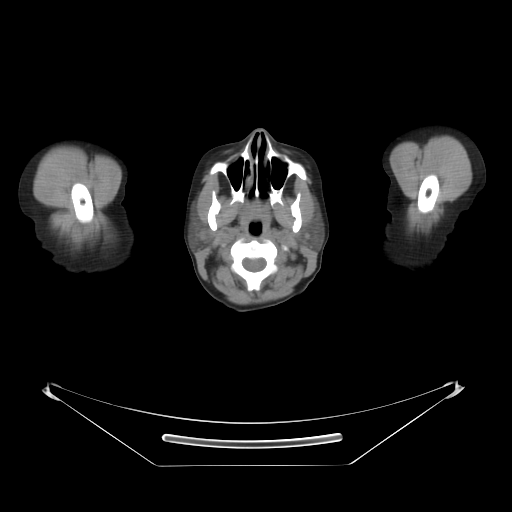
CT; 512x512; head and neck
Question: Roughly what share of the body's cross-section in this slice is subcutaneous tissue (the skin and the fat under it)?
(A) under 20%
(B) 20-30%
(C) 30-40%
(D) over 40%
Answer: (C) 30-40%
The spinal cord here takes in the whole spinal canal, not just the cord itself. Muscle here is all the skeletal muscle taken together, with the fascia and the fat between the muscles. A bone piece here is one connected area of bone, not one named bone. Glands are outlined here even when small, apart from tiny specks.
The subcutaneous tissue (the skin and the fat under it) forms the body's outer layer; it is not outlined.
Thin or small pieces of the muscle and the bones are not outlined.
{"parotid_glands":[[[311,194],[313,194],[317,196],[319,200],[320,212],[321,213],[321,216],[324,224],[324,237],[323,238],[323,241],[319,247],[312,247],[309,245],[308,242],[306,241],[304,237],[304,234],[301,231],[301,228],[308,221],[313,214],[313,204],[312,203]],[[194,201],[195,210],[200,217],[202,222],[204,223],[204,226],[205,227],[205,239],[203,243],[199,247],[197,248],[195,248],[194,249],[192,249],[189,243],[189,240],[188,239],[188,225],[189,224],[189,219],[190,218],[190,214],[191,213],[191,204]]],"bones":[{"outer":[[239,238],[243,238],[246,242],[253,238],[256,238],[259,242],[262,242],[264,239],[269,239],[277,248],[277,255],[274,261],[277,266],[277,270],[261,281],[259,290],[249,291],[247,289],[246,281],[231,269],[233,260],[230,254],[230,248],[231,245]],"hole":[[245,258],[248,258],[249,259],[256,259],[257,258],[262,258],[264,259],[265,261],[265,265],[262,269],[260,270],[258,270],[257,271],[251,271],[250,270],[248,270],[246,269],[243,266],[243,264],[242,263],[243,260]]},[[253,134],[250,146],[253,156],[257,137],[259,134],[261,136],[258,151],[259,196],[254,196],[252,188],[245,192],[243,202],[231,204],[230,182],[222,172],[210,174],[209,171],[215,162],[228,160],[227,175],[236,190],[244,177],[243,160],[239,155]],[[264,134],[267,135],[272,147],[277,152],[300,163],[306,171],[306,180],[292,174],[285,182],[281,196],[282,205],[278,202],[271,205],[267,194],[268,180],[278,189],[286,176],[286,164],[273,157],[270,168],[267,166],[264,169],[263,159],[266,149]],[[77,182],[82,183],[87,187],[91,195],[91,199],[93,204],[93,217],[91,221],[89,222],[86,222],[85,223],[82,223],[80,222],[76,218],[76,216],[75,215],[75,211],[73,206],[73,203],[71,199],[71,188],[73,184]],[[429,174],[434,174],[437,176],[438,178],[438,181],[439,182],[439,192],[436,198],[433,209],[431,211],[427,213],[422,213],[420,212],[417,208],[417,198],[418,197],[418,192],[419,191],[419,187],[420,186],[421,182],[423,180],[423,179]],[[212,190],[214,190],[215,191],[215,193],[216,194],[216,198],[221,205],[220,209],[215,217],[215,220],[216,221],[217,228],[216,230],[214,231],[209,227],[209,225],[207,221],[207,213],[208,212],[209,207],[212,201],[212,195],[211,194]],[[298,192],[300,192],[300,200],[299,201],[299,207],[300,208],[300,211],[301,212],[302,224],[301,225],[300,229],[297,232],[293,232],[292,230],[292,225],[294,221],[294,217],[291,213],[290,206],[291,204],[295,200],[296,196],[297,195],[297,193]]],"spinal_cord":[[[245,258],[248,258],[249,259],[256,259],[257,258],[262,258],[264,259],[265,261],[265,265],[262,269],[260,270],[258,270],[257,271],[251,271],[250,270],[248,270],[246,269],[243,266],[243,264],[242,263],[243,260]]],"left_arm":[[[426,123],[450,124],[468,134],[482,154],[487,177],[485,186],[473,204],[461,213],[455,230],[449,236],[435,266],[419,273],[405,274],[387,268],[377,253],[384,224],[391,216],[386,209],[389,178],[382,167],[381,158],[385,147],[394,137],[407,129]]],"right_arm":[[[65,135],[84,136],[104,144],[116,152],[128,168],[125,196],[122,203],[135,231],[134,257],[122,267],[109,273],[90,276],[70,274],[54,265],[50,260],[50,255],[39,247],[34,236],[32,221],[22,214],[18,205],[18,181],[28,157],[44,142]]],"head_and_neck":[{"outer":[[256,127],[265,128],[278,141],[304,149],[316,161],[322,179],[323,195],[329,220],[329,237],[323,250],[321,268],[301,294],[288,301],[265,309],[251,312],[239,312],[215,300],[199,283],[183,238],[183,222],[192,175],[201,156],[212,147],[242,139]],"holes":[[[261,134],[264,135],[265,140],[265,149],[262,159],[263,169],[264,170],[268,167],[269,170],[272,166],[273,158],[275,158],[285,164],[286,170],[283,182],[278,188],[276,188],[269,179],[267,180],[266,196],[260,195],[259,190],[259,151],[262,144]],[[239,158],[241,158],[241,159],[242,160],[242,173],[243,174],[243,177],[241,179],[241,180],[239,183],[239,185],[238,186],[238,187],[236,189],[234,187],[234,186],[233,185],[232,182],[230,180],[230,178],[228,175],[228,168],[232,164],[233,164]],[[251,224],[259,224],[260,225],[260,230],[259,231],[259,232],[258,232],[257,233],[254,233],[253,232],[252,232],[251,231],[251,230],[250,229],[250,225]],[[255,134],[258,134],[257,135],[257,136],[256,137],[256,141],[255,142],[255,152],[254,153],[254,154],[253,155],[253,154],[252,153],[252,151],[251,150],[251,146],[252,145],[252,142],[253,141],[253,140],[254,139],[254,137],[255,136]]]}],"muscle":[{"outer":[[244,145],[233,163],[217,160],[208,171],[222,173],[229,182],[229,203],[243,203],[248,192],[282,206],[289,178],[306,181],[308,176],[300,162],[273,145],[297,152],[311,167],[315,194],[310,194],[312,214],[302,226],[301,192],[296,193],[289,206],[291,230],[300,230],[309,246],[319,248],[315,269],[291,294],[249,305],[228,301],[206,282],[193,252],[206,239],[194,200],[206,163],[223,150]],"holes":[[[239,238],[243,238],[246,242],[253,238],[256,238],[259,242],[262,242],[264,239],[269,239],[277,248],[277,255],[274,261],[277,266],[277,270],[261,281],[259,290],[249,291],[247,289],[246,281],[231,269],[233,260],[230,254],[230,248],[231,245]],[[212,190],[214,190],[215,191],[215,193],[216,194],[216,198],[221,205],[220,209],[215,217],[215,220],[216,221],[217,228],[216,230],[214,231],[209,227],[209,225],[207,221],[207,213],[208,212],[209,207],[212,201],[212,195],[211,194]],[[251,224],[259,224],[260,225],[260,230],[259,231],[259,232],[258,232],[257,233],[254,233],[253,232],[252,232],[251,231],[251,230],[250,229],[250,225]]]},{"outer":[[60,144],[73,144],[80,146],[88,153],[92,152],[108,155],[121,167],[122,178],[112,207],[112,215],[114,225],[118,232],[118,240],[110,248],[99,253],[73,254],[62,250],[48,228],[48,216],[40,203],[33,196],[33,178],[41,157],[50,148]],"hole":[[77,182],[82,183],[87,187],[91,195],[91,199],[93,204],[93,217],[91,221],[89,222],[86,222],[85,223],[82,223],[80,222],[76,218],[76,216],[75,215],[75,211],[73,206],[73,203],[71,199],[71,188],[73,184]]},{"outer":[[437,134],[450,134],[460,140],[464,145],[471,162],[472,182],[469,188],[452,202],[442,221],[432,233],[427,236],[412,237],[406,232],[406,212],[404,208],[404,196],[390,167],[389,155],[394,146],[402,141],[412,140],[419,143],[423,143],[431,136]],"hole":[[429,174],[434,174],[437,176],[438,178],[438,181],[439,182],[439,192],[436,198],[433,209],[431,211],[427,213],[422,213],[420,212],[417,208],[417,198],[418,197],[418,192],[419,191],[419,187],[420,186],[421,182],[423,180],[423,179]]}]}